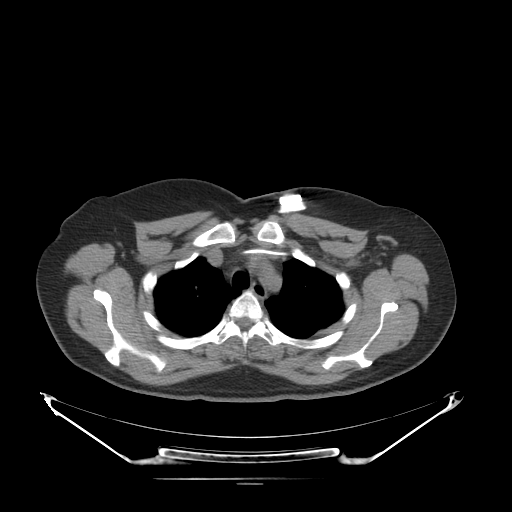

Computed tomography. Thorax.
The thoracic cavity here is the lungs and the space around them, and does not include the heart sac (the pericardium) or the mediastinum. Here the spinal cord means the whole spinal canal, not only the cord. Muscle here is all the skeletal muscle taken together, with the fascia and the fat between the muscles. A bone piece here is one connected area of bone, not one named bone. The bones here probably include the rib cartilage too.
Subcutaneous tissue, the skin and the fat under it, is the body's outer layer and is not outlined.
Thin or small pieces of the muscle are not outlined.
The thoracic cavity appears in 2 outlined pieces: piece 1: 292 258; 310 267; 317 267; 333 276; 339 288; 343 291; 346 305; 340 323; 334 331; 326 336; 318 337; 316 339; 307 339; 291 336; 279 329; 271 321; 269 314; 263 306; 265 300; 271 296; 276 296; 280 293; 283 285; 283 264; piece 2: 199 256; 203 257; 211 266; 218 269; 221 272; 223 280; 239 294; 231 300; 229 305; 223 312; 219 321; 212 328; 199 335; 182 336; 166 327; 155 315; 156 314; 153 291; 159 277; 173 269; 177 270; 185 267. The torso is outlined by 174 177; 210 181; 243 198; 297 186; 329 187; 417 213; 440 236; 454 278; 456 308; 443 339; 419 365; 380 384; 347 395; 302 400; 166 398; 121 388; 74 365; 56 343; 38 302; 35 274; 42 250; 56 236; 62 221; 86 200. The mediastinum is outlined by 246 240; 268 247; 275 246; 280 249; 288 250; 292 257; 282 264; 282 285; 279 293; 269 296; 263 301; 262 305; 256 294; 250 289; 246 289; 240 293; 233 289; 231 285; 224 280; 222 272; 200 255; 214 246; 235 246. The muscle appears in 2 outlined pieces: piece 1: 200 210; 212 210; 222 218; 245 219; 304 214; 368 229; 362 264; 354 272; 362 277; 373 269; 388 267; 399 253; 417 257; 429 284; 427 310; 420 315; 414 337; 374 361; 365 355; 383 327; 385 314; 399 307; 389 300; 380 304; 378 324; 358 349; 330 354; 320 362; 325 370; 343 361; 355 362; 363 369; 334 383; 299 384; 244 365; 168 385; 139 382; 115 367; 121 363; 121 351; 148 360; 157 373; 166 366; 166 359; 122 335; 114 324; 112 297; 99 287; 93 289; 92 297; 104 308; 111 345; 103 355; 73 332; 64 314; 65 260; 83 245; 108 242; 116 249; 115 259; 137 277; 142 267; 136 261; 133 221, around holes outlined by 246 240; 298 247; 324 272; 348 275; 345 306; 357 306; 337 327; 343 334; 336 342; 305 349; 271 345; 255 335; 244 347; 233 335; 220 344; 179 349; 157 340; 142 314; 156 314; 142 283; 146 272; 160 277; 194 251; 201 255 and by 225 221; 227 221; 231 223; 235 228; 236 239; 235 240; 235 242; 233 244; 216 243; 215 244; 211 244; 210 245; 207 245; 202 247; 197 247; 196 246; 194 246; 192 244; 192 241; 193 239; 198 234; 211 228; 218 223; 221 223 and by 263 220; 276 221; 280 225; 285 236; 285 241; 282 244; 282 245; 278 245; 277 244; 274 244; 270 242; 264 242; 263 241; 259 241; 257 239; 256 237; 256 230; 254 228; 254 226; 256 224; 257 224; 259 222; 261 222; piece 2: 165 327; 166 328; 167 328; 169 330; 170 330; 172 332; 173 332; 174 333; 175 333; 178 335; 177 335; 174 337; 173 336; 169 336; 168 335; 166 335; 165 334; 164 334; 163 333; 162 333; 162 331; 163 331; 165 329. The spinal cord is outlined by 242 317; 247 317; 248 318; 249 318; 253 322; 253 324; 248 329; 247 329; 246 330; 242 330; 240 328; 240 327; 238 325; 238 324; 236 322; 236 321; 237 320; 237 319; 238 319; 239 318; 241 318. The bones appear in 10 outlined pieces: piece 1: 246 290; 255 294; 270 321; 291 337; 316 340; 341 329; 340 338; 327 347; 271 345; 258 335; 244 347; 233 335; 220 344; 172 348; 157 340; 159 333; 142 314; 144 310; 152 313; 166 336; 199 336; 212 329; 232 300, around a hole outlined by 242 317; 247 317; 248 318; 249 318; 253 322; 253 324; 248 329; 247 329; 246 330; 242 330; 240 328; 240 327; 238 325; 238 324; 236 322; 236 321; 237 320; 237 319; 238 319; 239 318; 241 318; piece 2: 96 288; 109 293; 112 300; 113 324; 121 335; 140 349; 151 351; 165 359; 166 364; 160 372; 156 371; 155 366; 148 359; 125 349; 119 353; 118 366; 112 365; 106 359; 104 352; 112 345; 113 336; 107 325; 104 306; 93 297; piece 3: 389 301; 394 301; 398 307; 396 310; 388 311; 384 314; 382 327; 379 333; 364 351; 364 355; 373 360; 371 365; 361 368; 355 361; 343 360; 336 362; 329 369; 322 367; 321 362; 330 355; 344 355; 358 350; 377 328; 381 304; piece 4: 225 221; 227 221; 231 223; 235 228; 236 239; 235 240; 235 242; 233 244; 216 243; 215 244; 211 244; 210 245; 207 245; 202 247; 197 247; 196 246; 194 246; 192 244; 192 241; 193 239; 198 234; 211 228; 218 223; 221 223; piece 5: 263 220; 276 221; 280 225; 285 236; 285 241; 282 244; 282 245; 278 245; 277 244; 274 244; 270 242; 264 242; 263 241; 259 241; 257 239; 256 237; 256 230; 254 228; 254 226; 256 224; 257 224; 259 222; 261 222; piece 6: 149 270; 153 270; 155 271; 155 272; 158 276; 158 278; 157 279; 156 284; 152 291; 152 296; 151 297; 149 296; 144 291; 144 288; 143 287; 143 284; 142 283; 142 279; 143 278; 143 276; 146 273; 146 272; 147 272; piece 7: 292 247; 298 247; 300 248; 305 253; 306 253; 309 256; 310 256; 315 261; 316 263; 316 266; 314 267; 312 266; 310 266; 306 264; 304 262; 293 257; 291 255; 291 253; 290 252; 290 250; piece 8: 337 271; 344 271; 348 275; 348 276; 349 277; 349 279; 350 280; 350 285; 349 286; 349 287; 347 289; 347 290; 345 290; 344 291; 342 289; 341 289; 340 288; 340 287; 339 286; 338 283; 336 281; 334 275; 335 274; 335 273; piece 9: 353 302; 355 302; 357 304; 357 306; 356 307; 356 310; 355 311; 355 313; 354 314; 353 317; 346 324; 342 324; 341 323; 341 320; 343 317; 343 314; 344 313; 344 312; 346 309; 346 307; 347 307; 350 304; 351 304; piece 10: 194 251; 198 251; 199 252; 199 255; 198 256; 197 256; 188 264; 187 264; 185 266; 181 268; 178 268; 177 269; 174 269; 173 268; 173 266; 175 262; 177 260; 179 260; 180 259; 182 259; 183 258; 186 258; 188 257.